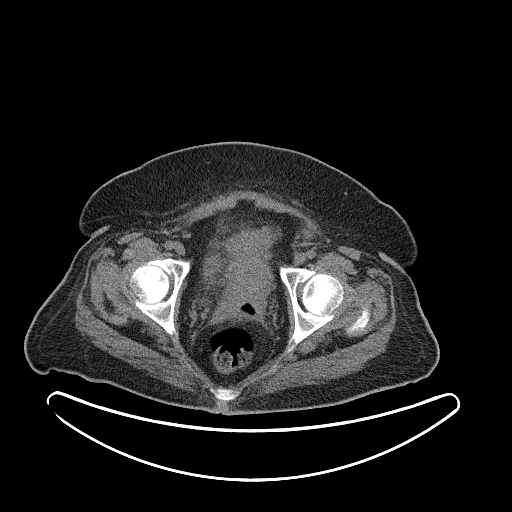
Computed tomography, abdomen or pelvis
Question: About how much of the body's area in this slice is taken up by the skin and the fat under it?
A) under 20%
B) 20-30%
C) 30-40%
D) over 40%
Answer: D) over 40%
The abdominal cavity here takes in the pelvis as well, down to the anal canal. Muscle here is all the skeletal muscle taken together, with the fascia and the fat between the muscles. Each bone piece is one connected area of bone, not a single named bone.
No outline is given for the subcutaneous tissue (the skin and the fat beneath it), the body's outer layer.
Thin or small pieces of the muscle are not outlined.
{"muscle":[{"outer":[[235,190],[280,198],[316,219],[333,240],[361,250],[384,264],[391,276],[396,310],[395,326],[385,352],[363,369],[323,384],[291,387],[218,404],[199,393],[156,379],[82,337],[75,327],[75,302],[88,260],[104,240],[118,232],[151,228],[201,201]],"holes":[[[241,201],[296,219],[299,225],[289,244],[290,261],[279,264],[336,277],[344,298],[333,318],[292,351],[284,347],[241,380],[223,385],[213,381],[189,355],[179,334],[174,344],[135,305],[129,279],[138,266],[150,260],[189,261],[185,249],[192,223]],[[363,308],[367,308],[370,312],[370,318],[369,319],[369,321],[367,323],[365,327],[362,330],[357,330],[351,333],[348,333],[346,331],[346,328],[348,326],[349,326],[357,318],[357,317],[361,313],[361,311],[363,309]],[[210,388],[213,388],[214,389],[216,389],[217,388],[226,388],[227,389],[231,389],[232,390],[234,390],[235,391],[239,391],[239,394],[235,398],[235,399],[233,399],[232,400],[222,400],[221,399],[217,399],[214,396],[214,395],[210,391]]]},[[184,280],[185,280],[185,286],[181,294],[181,300],[180,301],[180,305],[179,306],[179,313],[178,314],[178,324],[179,325],[179,329],[178,330],[178,332],[175,327],[174,314],[175,313],[175,306],[176,305],[177,297]]],"torso":[[[220,141],[258,142],[311,155],[358,180],[402,216],[418,247],[417,260],[406,271],[439,351],[437,365],[427,377],[337,405],[224,415],[165,404],[75,374],[56,370],[39,374],[29,366],[25,335],[88,239],[80,233],[78,219],[91,194],[156,156]]],"bones":[[[280,266],[303,267],[310,270],[314,270],[318,273],[330,274],[336,277],[339,280],[343,287],[344,292],[343,301],[335,310],[333,318],[304,338],[297,344],[292,351],[289,352],[285,351],[285,347],[294,330],[294,316],[289,292],[279,275],[279,267]],[[164,258],[174,258],[190,261],[190,269],[182,281],[174,306],[173,321],[174,327],[178,333],[178,341],[176,344],[173,343],[171,336],[159,324],[143,313],[135,305],[134,303],[135,296],[129,285],[130,276],[132,272],[138,266],[150,260],[163,259]],[[363,308],[367,308],[370,312],[370,318],[369,319],[369,321],[367,323],[365,327],[362,330],[357,330],[351,333],[348,333],[346,331],[346,328],[348,326],[349,326],[357,318],[357,317],[361,313],[361,311],[363,309]],[[210,388],[213,388],[214,389],[216,389],[217,388],[226,388],[227,389],[231,389],[232,390],[234,390],[235,391],[239,391],[239,394],[235,398],[235,399],[233,399],[232,400],[222,400],[221,399],[217,399],[214,396],[214,395],[210,391]]],"abdominal_cavity":[[[241,201],[251,203],[256,209],[285,213],[299,223],[289,244],[290,261],[280,261],[278,267],[286,304],[288,339],[283,349],[267,362],[236,383],[223,385],[210,378],[189,355],[180,339],[180,306],[185,278],[191,269],[185,249],[192,223],[233,208]]]}